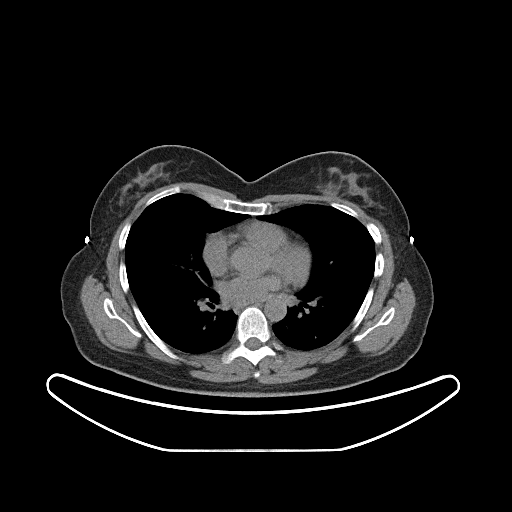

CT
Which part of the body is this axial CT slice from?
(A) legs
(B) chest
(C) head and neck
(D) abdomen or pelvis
Answer: (B) chest
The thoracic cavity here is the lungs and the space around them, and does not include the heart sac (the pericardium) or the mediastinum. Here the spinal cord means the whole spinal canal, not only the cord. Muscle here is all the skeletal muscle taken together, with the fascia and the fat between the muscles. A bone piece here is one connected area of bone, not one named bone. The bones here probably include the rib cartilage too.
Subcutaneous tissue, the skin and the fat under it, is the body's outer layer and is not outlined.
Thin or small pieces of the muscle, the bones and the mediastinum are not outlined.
{"thoracic_cavity":[[[179,193],[197,196],[221,210],[249,215],[217,231],[207,232],[204,237],[201,257],[210,274],[212,287],[227,308],[237,315],[235,330],[230,341],[205,353],[195,354],[176,349],[168,345],[153,330],[130,290],[125,263],[125,247],[132,224],[149,205]],[[303,204],[330,206],[357,219],[366,228],[375,249],[372,279],[351,322],[327,344],[307,350],[282,344],[275,337],[271,328],[286,316],[290,300],[307,283],[313,259],[311,249],[308,242],[298,232],[289,227],[257,218],[260,215],[269,215],[288,207]]],"muscle":[{"outer":[[177,182],[205,184],[233,193],[239,199],[204,190],[197,195],[181,192],[181,186],[175,184],[149,197],[136,219],[132,223],[127,221],[121,228],[118,236],[118,248],[124,250],[124,260],[118,264],[121,288],[125,294],[130,291],[133,297],[135,303],[131,308],[141,329],[168,357],[183,359],[170,347],[197,355],[215,351],[229,342],[220,354],[223,364],[243,357],[256,366],[266,356],[276,357],[284,346],[302,351],[316,349],[327,345],[350,324],[353,332],[361,323],[374,295],[371,282],[384,271],[384,256],[375,248],[382,242],[379,228],[371,221],[364,225],[353,208],[336,201],[329,205],[303,203],[273,211],[274,206],[269,201],[250,201],[269,194],[337,197],[358,205],[380,221],[389,236],[394,256],[393,282],[406,278],[415,295],[416,304],[407,329],[393,347],[379,355],[351,357],[303,379],[273,384],[260,383],[254,378],[232,382],[203,380],[188,376],[169,363],[109,348],[98,339],[85,315],[79,297],[82,283],[91,273],[100,280],[106,274],[106,257],[112,238],[135,204],[148,192]],"holes":[[[105,298],[109,298],[112,301],[112,304],[118,315],[124,320],[125,320],[133,329],[138,331],[141,334],[141,337],[138,337],[134,335],[127,328],[127,327],[121,321],[120,321],[118,319],[116,318],[110,318],[106,314],[103,308],[103,301]],[[390,307],[393,307],[394,308],[394,315],[392,319],[387,324],[384,324],[383,325],[379,325],[375,327],[360,340],[358,340],[355,342],[354,342],[352,340],[353,338],[357,334],[360,334],[362,333],[369,327],[375,324],[379,320],[381,316]]]}],"pericardium":[[[253,219],[277,224],[299,234],[307,242],[310,249],[312,257],[311,267],[308,279],[300,289],[281,297],[271,297],[260,302],[241,304],[236,301],[231,301],[220,293],[215,286],[211,274],[204,262],[202,252],[205,243],[213,234],[220,230],[225,230]]],"torso":[[[165,144],[198,149],[247,181],[318,152],[350,153],[372,166],[400,199],[409,219],[409,237],[432,279],[433,307],[418,351],[399,369],[369,381],[333,391],[275,397],[175,391],[86,360],[62,313],[62,274],[86,243],[93,205],[108,180],[136,155]]],"mediastinum":[[[213,281],[214,286],[224,298],[241,305],[260,303],[271,298],[281,298],[295,293],[289,300],[289,306],[287,307],[285,316],[274,323],[270,328],[264,313],[254,305],[245,307],[238,315],[232,309],[228,308],[226,302],[220,297],[219,293],[213,287]],[[250,216],[256,216],[256,218],[257,219],[255,218],[253,218],[252,219],[248,219],[245,221],[243,221],[240,223],[238,223],[231,227],[228,227],[225,229],[221,229],[223,228],[225,228],[226,227],[228,227],[229,226],[231,226],[244,219],[247,219]],[[214,232],[217,232],[216,232],[215,233],[213,233],[207,239],[207,240],[206,241],[206,242],[205,242],[205,237],[206,236],[206,234],[207,233],[213,233]]],"spinal_cord":[[[250,338],[256,338],[257,339],[258,339],[260,341],[260,342],[261,343],[261,345],[259,347],[258,347],[257,348],[256,348],[255,349],[251,349],[250,348],[249,348],[248,347],[247,347],[245,345],[245,343],[246,342],[246,341],[248,339],[249,339]]],"bones":[{"outer":[[250,306],[258,308],[263,313],[267,320],[269,328],[274,337],[283,346],[283,349],[277,350],[276,356],[264,356],[256,365],[254,365],[243,356],[238,356],[229,363],[223,363],[221,360],[221,354],[230,345],[230,342],[236,330],[238,316],[245,308]],"hole":[[250,338],[256,338],[257,339],[258,339],[260,341],[260,342],[261,343],[261,345],[259,347],[258,347],[257,348],[256,348],[255,349],[251,349],[250,348],[249,348],[248,347],[247,347],[245,345],[245,343],[246,342],[246,341],[248,339],[249,339]]},[[202,191],[210,192],[224,198],[240,200],[244,202],[251,202],[252,203],[269,202],[273,206],[273,210],[272,211],[273,212],[269,214],[250,215],[245,213],[239,213],[238,212],[233,212],[232,211],[221,209],[212,206],[204,199],[198,196],[198,193]],[[133,304],[136,304],[137,307],[141,312],[145,320],[152,329],[152,330],[170,348],[170,349],[173,352],[181,357],[182,359],[175,359],[168,356],[164,352],[163,352],[148,337],[148,336],[140,326],[135,316],[134,311],[132,308],[132,305]],[[370,287],[372,287],[373,288],[373,295],[371,299],[371,302],[367,309],[367,311],[365,313],[363,318],[361,320],[358,326],[353,331],[351,331],[351,327],[352,326],[352,324],[351,323],[354,317],[356,315],[359,308],[361,306],[365,298],[365,296]],[[105,298],[109,298],[112,301],[112,304],[118,315],[124,320],[125,320],[133,329],[138,331],[141,334],[141,337],[138,337],[134,335],[127,328],[127,327],[121,321],[120,321],[118,319],[116,318],[110,318],[106,314],[103,308],[103,301]],[[390,307],[393,307],[394,308],[394,315],[392,319],[387,324],[384,324],[383,325],[379,325],[375,327],[360,340],[358,340],[355,342],[354,342],[352,340],[353,338],[357,334],[360,334],[362,333],[369,327],[375,324],[379,320],[381,316]],[[175,185],[179,185],[180,186],[181,188],[181,191],[180,192],[164,196],[154,201],[147,206],[145,207],[144,206],[145,205],[145,203],[149,198],[150,198],[155,194],[165,189],[167,189],[170,187],[172,187]],[[121,261],[124,261],[124,263],[125,264],[125,269],[126,270],[126,275],[127,276],[127,281],[128,282],[128,284],[129,285],[129,290],[126,293],[125,293],[124,292],[124,291],[122,288],[122,286],[121,285],[120,280],[119,279],[119,264]],[[369,222],[371,222],[372,223],[373,223],[378,228],[378,229],[379,230],[379,232],[381,235],[381,242],[379,244],[375,244],[375,243],[374,242],[374,241],[373,240],[371,235],[369,233],[367,228],[365,226],[366,225],[366,224]],[[378,252],[381,252],[381,253],[383,256],[383,271],[382,272],[382,273],[380,276],[379,276],[378,277],[377,277],[376,278],[375,278],[374,277],[373,277],[373,275],[374,274],[374,270],[375,269],[375,258],[376,257],[376,253],[377,253]],[[127,222],[130,222],[131,223],[131,226],[129,229],[129,231],[128,232],[128,234],[126,238],[126,241],[125,242],[125,246],[124,247],[124,249],[121,250],[119,248],[119,236],[120,235],[120,233],[122,230],[122,228],[123,226]],[[331,202],[336,202],[337,203],[341,203],[342,204],[344,204],[345,205],[350,207],[352,209],[353,209],[358,214],[358,217],[357,218],[356,218],[355,217],[354,217],[353,216],[352,216],[337,208],[335,208],[334,207],[331,206],[330,205],[330,203]]]}